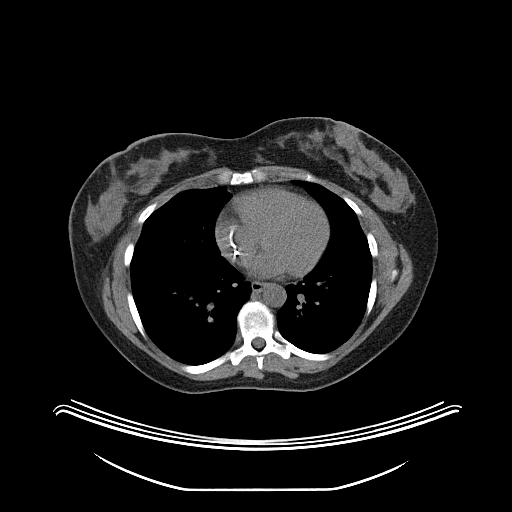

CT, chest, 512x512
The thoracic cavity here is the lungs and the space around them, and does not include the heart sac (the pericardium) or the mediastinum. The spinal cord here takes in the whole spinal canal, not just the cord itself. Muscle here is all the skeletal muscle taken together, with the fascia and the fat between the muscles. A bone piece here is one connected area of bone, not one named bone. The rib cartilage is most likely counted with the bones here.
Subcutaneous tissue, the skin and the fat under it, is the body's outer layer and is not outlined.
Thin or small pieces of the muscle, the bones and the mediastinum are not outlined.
The bones appear in 9 outlined pieces: piece 1: 254 300; 269 308; 275 327; 285 339; 307 352; 330 353; 330 358; 310 360; 291 353; 285 359; 269 352; 263 357; 262 369; 252 355; 237 365; 227 360; 197 374; 180 368; 182 364; 207 363; 231 349; 239 332; 238 312; 247 301, around a hole outlined by 257 337; 259 337; 260 338; 262 338; 264 340; 264 345; 263 346; 263 347; 262 347; 261 348; 256 348; 255 347; 254 347; 253 346; 253 345; 252 344; 252 341; 253 340; 253 339; 254 339; 255 338; 256 338; piece 2: 253 168; 257 168; 268 172; 269 177; 267 180; 264 181; 258 181; 257 182; 256 181; 251 183; 241 183; 240 184; 232 185; 228 183; 219 184; 216 181; 215 178; 216 175; 222 171; 227 170; 231 172; 244 172; 245 171; 249 171; piece 3: 128 292; 131 292; 132 294; 132 296; 133 297; 133 299; 134 300; 134 302; 135 303; 139 317; 141 320; 142 325; 146 333; 146 338; 143 337; 143 336; 140 333; 130 312; 129 306; 128 305; 128 302; 127 301; 127 293; piece 4: 280 172; 308 172; 312 174; 314 176; 315 176; 317 178; 318 180; 318 182; 313 182; 312 181; 306 181; 305 180; 302 180; 301 179; 293 179; 292 178; 290 178; 288 176; 282 176; 280 175; 279 174; piece 5: 372 278; 375 278; 376 279; 376 284; 377 285; 376 295; 375 296; 375 300; 374 301; 373 306; 369 314; 368 315; 366 315; 365 314; 365 312; 366 311; 367 301; 368 300; 368 296; 369 295; 369 291; 370 290; 370 286; 371 285; piece 6: 155 202; 156 202; 157 203; 157 205; 158 206; 147 217; 147 218; 143 222; 143 223; 141 225; 140 224; 139 224; 137 222; 137 220; 138 219; 138 217; 140 215; 140 214; 141 213; 141 212; 148 205; 149 205; 152 203; 154 203; piece 7: 367 232; 371 232; 372 233; 372 234; 376 241; 376 243; 377 244; 377 256; 376 257; 372 257; 372 256; 371 255; 371 253; 370 252; 370 249; 369 248; 369 245; 368 244; 368 241; 367 240; 367 238; 366 237; 366 233; piece 8: 130 242; 132 242; 134 244; 134 248; 133 249; 133 253; 132 254; 132 257; 131 258; 131 261; 130 262; 130 264; 129 265; 129 267; 127 267; 125 265; 125 264; 124 263; 124 253; 125 252; 125 249; 126 248; 127 245; piece 9: 343 195; 345 195; 346 196; 347 196; 350 199; 351 199; 354 202; 355 202; 355 203; 359 207; 359 208; 361 210; 361 211; 362 212; 362 215; 357 215; 356 214; 356 213; 352 209; 352 208; 341 197. The spinal cord is outlined by 257 337; 259 337; 260 338; 262 338; 264 340; 264 345; 263 346; 263 347; 262 347; 261 348; 256 348; 255 347; 254 347; 253 346; 253 345; 252 344; 252 341; 253 340; 253 339; 254 339; 255 338; 256 338. The thoracic cavity appears in 2 outlined pieces: piece 1: 212 186; 224 186; 231 194; 231 197; 222 206; 215 221; 214 237; 216 244; 220 254; 250 284; 251 290; 248 300; 237 312; 238 332; 231 348; 207 362; 187 364; 168 355; 147 334; 131 289; 130 265; 142 225; 157 208; 181 191; piece 2: 297 180; 320 184; 339 196; 351 208; 365 234; 371 256; 371 280; 361 321; 343 343; 329 352; 304 350; 285 338; 276 327; 276 314; 288 296; 286 286; 301 282; 304 276; 315 267; 330 238; 330 223; 325 210; 303 184; 295 182. The torso is outlined by 297 116; 328 117; 364 130; 396 151; 421 181; 437 221; 438 251; 413 319; 403 333; 369 363; 317 390; 228 389; 190 394; 152 381; 112 346; 80 297; 68 239; 68 217; 76 193; 104 158; 140 138; 167 132; 237 138; 275 120. The muscle appears in 2 outlined pieces: piece 1: 224 166; 236 171; 226 169; 218 172; 214 177; 218 184; 181 190; 159 206; 156 201; 148 204; 137 217; 136 222; 141 226; 139 235; 135 243; 130 241; 126 245; 123 263; 129 268; 130 277; 131 291; 126 293; 126 301; 139 333; 145 339; 147 335; 164 353; 180 362; 179 368; 182 371; 194 375; 207 372; 227 361; 237 366; 246 356; 254 357; 257 368; 262 370; 264 357; 269 353; 285 360; 291 354; 310 361; 330 359; 333 356; 330 352; 354 333; 364 315; 368 316; 374 306; 378 285; 377 279; 372 277; 372 258; 378 256; 378 244; 371 231; 365 233; 362 229; 358 216; 362 216; 363 212; 356 202; 347 195; 340 196; 318 183; 319 177; 347 189; 367 204; 379 216; 391 237; 404 246; 413 264; 413 279; 398 302; 358 346; 327 369; 315 373; 301 373; 295 378; 278 372; 266 372; 263 378; 258 379; 244 376; 239 372; 214 380; 194 380; 170 370; 137 347; 107 316; 101 296; 104 269; 135 214; 153 197; 176 183, around a hole outlined by 393 269; 396 269; 397 270; 397 275; 395 277; 395 278; 393 280; 392 280; 391 279; 391 273; 392 272; 392 270; piece 2: 266 165; 288 166; 289 167; 294 167; 295 168; 301 168; 308 171; 280 171; 278 174; 280 176; 282 177; 288 177; 289 178; 287 179; 278 179; 277 180; 273 180; 272 179; 269 179; 270 174; 267 170; 255 167; 257 166; 265 166. The mediastinum appears in 2 outlined pieces: piece 1: 242 274; 247 278; 273 280; 276 282; 291 282; 302 278; 302 280; 301 281; 299 280; 296 283; 288 283; 285 286; 285 291; 287 296; 286 299; 275 315; 270 308; 262 301; 257 299; 249 300; 252 290; 251 284; 244 278; piece 2: 288 179; 296 180; 294 182; 299 185; 303 185; 307 192; 303 189; 291 185; 286 185; 280 183; 268 183; 240 189; 232 195; 224 185; 217 185; 228 184; 234 186; 241 184; 251 184; 256 182; 257 183; 264 182; 268 180; 277 181. The pericardium is outlined by 268 184; 280 184; 303 190; 316 200; 321 206; 326 214; 329 223; 329 238; 321 257; 314 267; 299 279; 291 281; 276 281; 273 279; 247 277; 232 265; 221 254; 216 241; 215 226; 217 218; 222 209; 228 203; 232 196; 240 190.